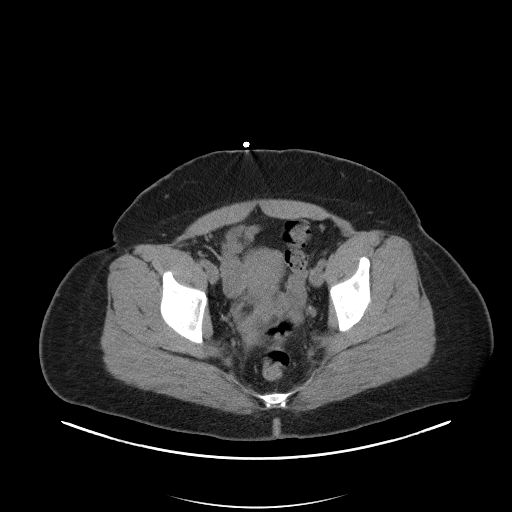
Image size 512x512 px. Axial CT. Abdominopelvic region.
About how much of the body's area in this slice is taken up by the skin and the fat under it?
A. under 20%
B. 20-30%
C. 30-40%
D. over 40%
D. over 40%
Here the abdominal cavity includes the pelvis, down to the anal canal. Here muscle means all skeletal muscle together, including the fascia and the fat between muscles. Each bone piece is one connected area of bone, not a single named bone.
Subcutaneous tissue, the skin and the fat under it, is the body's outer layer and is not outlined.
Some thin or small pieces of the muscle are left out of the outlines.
Outlined structures:
bones 1: 166,270 170,270 172,272 174,278 179,283 200,289 206,293 207,304 204,309 203,318 202,319 202,325 201,326 202,339 203,340 202,343 195,343 183,337 171,328 162,318 160,313 160,302 162,296 162,274
bones 2: 362,256 366,256 370,261 370,279 369,280 370,282 370,302 367,306 362,317 358,322 354,324 346,331 340,331 338,329 338,322 337,321 335,309 329,296 329,289 333,284 349,278 357,269 359,258
bones 3: 304,385 303,388 299,389 296,392 290,395 286,399 286,405 284,408 279,407 278,404 275,404 270,408 267,408 265,406 264,402 261,399 254,396 252,394 253,392 256,392 260,394 271,393 272,392 289,392
abdominal cavity: 257,206 274,218 330,219 347,237 324,263 323,277 329,300 327,329 319,338 322,349 319,366 311,379 289,391 262,393 242,383 232,354 219,339 213,337 207,295 208,275 192,256 174,247 178,243 238,222
muscle: 253,198 310,202 358,230 405,238 433,310 429,362 342,400 283,409 320,366 329,301 340,332 363,317 371,261 360,256 354,272 329,288 325,263 348,237 330,218 274,217 257,205 173,246 199,263 207,290 166,269 159,313 202,344 207,305 212,337 231,354 241,383 267,409 280,408 236,414 112,376 100,348 109,264 133,245 168,243 207,212
torso: 287,148 347,158 392,179 407,195 426,232 458,261 477,286 490,314 494,344 467,398 331,435 235,441 164,429 58,397 43,377 38,339 45,311 68,269 88,251 109,246 116,220 133,199 183,162 215,150